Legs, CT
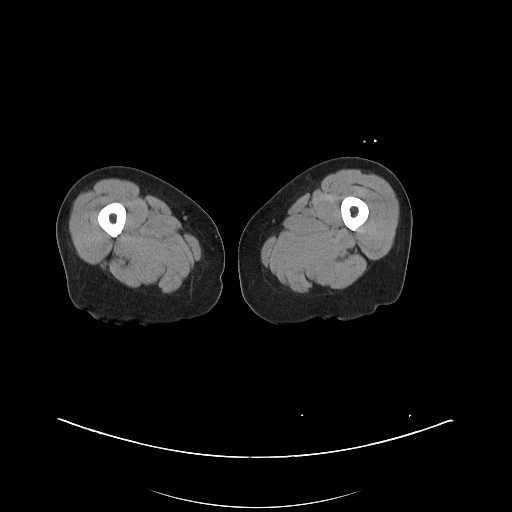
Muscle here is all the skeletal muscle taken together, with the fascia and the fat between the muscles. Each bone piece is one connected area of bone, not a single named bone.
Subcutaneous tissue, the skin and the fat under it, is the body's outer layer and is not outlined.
The muscle appears in 2 outlined pieces: piece 1: (344, 167) (362, 168) (378, 173) (386, 178) (394, 190) (399, 202) (399, 220) (394, 242) (390, 251) (377, 263) (370, 267) (352, 285) (333, 295) (322, 295) (319, 297) (294, 296) (275, 291) (263, 278) (261, 273) (260, 259) (260, 244) (272, 218) (320, 177) (326, 173); inner edge: (346, 196) (354, 196) (363, 200) (366, 203) (368, 207) (368, 209) (369, 210) (369, 213) (368, 214) (368, 217) (367, 219) (355, 231) (353, 231) (349, 229) (344, 224) (343, 220) (342, 219) (342, 217) (341, 216) (340, 206) (341, 205) (341, 202) (342, 200); piece 2: (106, 177) (127, 179) (144, 187) (157, 190) (163, 193) (178, 208) (201, 241) (201, 248) (205, 259) (205, 263) (203, 275) (196, 286) (183, 295) (177, 297) (154, 297) (143, 294) (137, 290) (118, 283) (88, 266) (75, 256) (69, 242) (65, 219) (76, 196) (90, 182); inner edge: (112, 202) (120, 202) (122, 203) (126, 210) (126, 220) (125, 221) (125, 224) (123, 227) (123, 229) (122, 231) (116, 237) (112, 237) (110, 235) (109, 235) (99, 225) (97, 221) (97, 216) (98, 215) (98, 213) (99, 211) (105, 205) (109, 203) (111, 203). The right leg is outlined by (107, 165) (135, 167) (165, 180) (194, 200) (214, 221) (223, 242) (225, 267) (222, 274) (221, 296) (207, 314) (168, 326) (143, 326) (131, 322) (120, 327) (95, 320) (85, 311) (79, 310) (73, 305) (68, 295) (65, 272) (56, 242) (56, 218) (70, 187) (89, 171). The left leg is outlined by (340, 156) (358, 156) (381, 163) (396, 175) (407, 193) (411, 205) (413, 225) (402, 292) (394, 303) (381, 305) (372, 315) (352, 321) (332, 318) (328, 320) (314, 319) (301, 325) (269, 323) (250, 309) (240, 291) (237, 254) (242, 231) (250, 217) (293, 177) (319, 162). The bones appear in 2 outlined pieces: piece 1: (112, 202) (120, 202) (122, 203) (126, 210) (126, 220) (125, 221) (125, 224) (123, 227) (123, 229) (122, 231) (116, 237) (112, 237) (110, 235) (109, 235) (99, 225) (97, 221) (97, 216) (98, 215) (98, 213) (99, 211) (105, 205) (109, 203) (111, 203); piece 2: (346, 196) (354, 196) (363, 200) (366, 203) (368, 207) (368, 209) (369, 210) (369, 213) (368, 214) (368, 217) (367, 219) (355, 231) (353, 231) (349, 229) (344, 224) (343, 220) (342, 219) (342, 217) (341, 216) (340, 206) (341, 205) (341, 202) (342, 200).